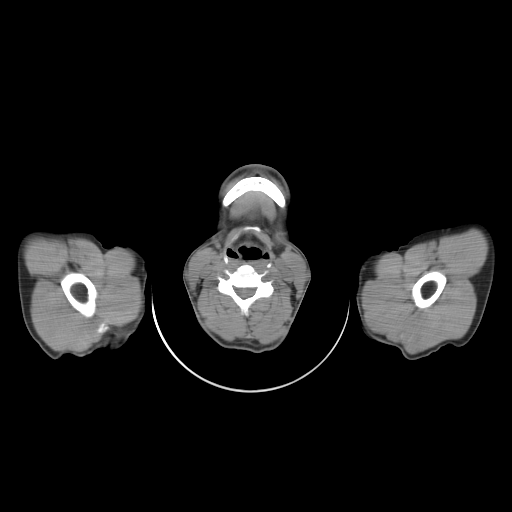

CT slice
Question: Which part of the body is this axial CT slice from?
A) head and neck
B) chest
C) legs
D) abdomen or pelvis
Answer: A) head and neck
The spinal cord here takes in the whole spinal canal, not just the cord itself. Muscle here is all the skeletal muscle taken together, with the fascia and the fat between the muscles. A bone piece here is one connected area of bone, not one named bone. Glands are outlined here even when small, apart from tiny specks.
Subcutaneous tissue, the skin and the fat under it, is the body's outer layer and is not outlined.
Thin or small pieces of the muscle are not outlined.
{"spinal_cord":[[[234,287],[235,287],[236,288],[255,288],[255,291],[254,292],[254,293],[251,296],[250,296],[249,297],[247,297],[246,298],[242,298],[241,297],[240,297],[236,293],[236,292],[235,291],[235,290],[234,289]]],"muscle":[{"outer":[[249,191],[262,192],[280,208],[286,207],[282,221],[284,236],[303,258],[307,270],[306,280],[283,335],[275,342],[265,346],[238,341],[226,341],[209,330],[200,315],[196,297],[187,278],[187,267],[193,254],[211,241],[220,230],[221,205],[227,207]],"holes":[[[268,263],[271,265],[268,268],[265,278],[273,280],[273,292],[269,297],[256,299],[248,308],[248,315],[243,315],[234,300],[229,295],[221,293],[217,289],[217,275],[222,274],[224,269],[233,272],[243,264],[251,265],[258,273],[261,273],[267,268]],[[245,226],[257,226],[260,229],[260,231],[257,232],[254,230],[243,230],[239,236],[232,242],[227,248],[228,250],[233,250],[237,254],[236,257],[230,257],[229,255],[228,256],[227,262],[225,262],[224,260],[224,252],[225,251],[226,245],[234,236]]]},{"outer":[[469,228],[477,228],[485,234],[488,241],[488,253],[475,284],[477,304],[474,317],[467,332],[461,338],[444,340],[425,350],[409,353],[401,344],[370,330],[364,320],[361,292],[369,276],[373,262],[384,253],[399,253],[414,244],[445,234],[461,232]],"hole":[[430,270],[438,270],[442,272],[445,275],[446,277],[446,283],[441,293],[439,295],[437,299],[431,305],[425,308],[418,308],[415,305],[411,297],[411,289],[412,288],[412,286],[413,284],[424,273]]},{"outer":[[33,235],[80,236],[91,240],[104,253],[115,248],[125,248],[132,251],[136,257],[135,269],[142,294],[142,305],[136,318],[120,327],[115,327],[102,339],[86,350],[56,351],[50,348],[36,332],[30,315],[32,280],[24,262],[23,246],[26,239]],"holes":[[[71,271],[79,272],[80,273],[84,274],[95,286],[95,288],[97,291],[97,297],[96,298],[96,307],[95,308],[95,312],[94,314],[90,317],[86,317],[84,316],[81,313],[76,310],[70,304],[61,287],[61,285],[60,284],[60,280],[65,274]],[[101,323],[104,323],[107,326],[108,326],[108,329],[105,332],[104,332],[103,333],[99,333],[98,332],[97,332],[97,328],[99,326],[99,325]]]},[[252,170],[261,170],[267,172],[269,174],[275,177],[280,182],[286,191],[287,194],[287,202],[287,200],[280,188],[269,178],[261,175],[248,175],[242,177],[239,179],[222,197],[222,191],[225,185],[229,181],[236,176],[244,172],[248,172]]],"head_and_neck":[{"outer":[[250,163],[261,163],[275,168],[288,183],[292,195],[289,230],[293,241],[305,254],[311,270],[309,285],[286,339],[277,348],[261,353],[224,348],[208,337],[196,320],[182,279],[182,270],[188,255],[213,232],[216,208],[215,200],[220,183],[234,169]],"holes":[[[242,246],[245,246],[246,247],[255,247],[256,248],[259,248],[259,249],[261,250],[261,251],[264,254],[265,253],[267,254],[267,257],[258,257],[255,259],[251,259],[250,258],[245,257],[241,253],[240,253],[239,251],[240,248]],[[228,250],[233,250],[237,254],[237,255],[236,256],[236,257],[230,257],[230,256],[229,255],[228,256]]]}],"right_arm":[[[33,227],[86,231],[93,234],[107,248],[114,245],[128,245],[143,255],[149,268],[145,285],[146,310],[139,327],[121,347],[112,351],[98,349],[89,355],[81,357],[65,354],[62,358],[53,359],[31,337],[21,313],[17,283],[16,249],[20,236]]],"bones":[{"outer":[[268,263],[271,265],[268,268],[265,278],[273,280],[273,292],[269,297],[256,299],[248,308],[248,315],[243,315],[234,300],[229,295],[221,293],[217,289],[217,275],[222,274],[224,269],[233,272],[243,264],[251,265],[258,273],[261,273],[267,268]],"hole":[[234,287],[235,287],[236,288],[255,288],[255,291],[254,292],[254,293],[251,296],[250,296],[249,297],[247,297],[246,298],[242,298],[241,297],[240,297],[236,293],[236,292],[235,291],[235,290],[234,289]]},[[71,271],[79,272],[80,273],[84,274],[95,286],[95,288],[97,291],[97,297],[96,298],[96,307],[95,308],[95,312],[94,314],[90,317],[86,317],[84,316],[81,313],[76,310],[70,304],[61,287],[61,285],[60,284],[60,280],[65,274]],[[248,176],[261,176],[262,177],[265,177],[273,182],[279,188],[283,194],[286,200],[286,206],[283,208],[280,207],[273,199],[264,192],[262,191],[257,191],[256,190],[246,191],[233,200],[227,206],[223,206],[221,204],[221,201],[225,194],[239,180]],[[430,270],[438,270],[442,272],[445,275],[446,277],[446,283],[441,293],[439,295],[437,299],[431,305],[425,308],[418,308],[415,305],[411,297],[411,289],[412,288],[412,286],[413,284],[424,273]],[[245,226],[257,226],[260,229],[260,231],[259,232],[257,232],[254,230],[243,230],[239,236],[228,246],[226,250],[226,254],[228,257],[228,260],[227,262],[225,262],[224,260],[224,252],[225,251],[226,245],[234,237],[234,236]],[[101,323],[104,323],[107,326],[108,326],[108,329],[105,332],[104,332],[103,333],[99,333],[98,332],[97,332],[97,328],[99,326],[99,325]]],"submandibular_glands":[[[277,233],[278,234],[281,234],[281,235],[282,236],[283,236],[283,241],[281,243],[277,243],[277,242],[276,241],[275,241],[275,240],[274,239],[274,235],[275,234],[276,234]]],"left_arm":[[[468,221],[476,221],[486,226],[495,243],[493,281],[481,322],[472,338],[463,346],[446,345],[427,356],[410,360],[404,357],[394,346],[380,343],[366,336],[359,323],[355,300],[358,270],[362,262],[370,254],[383,249],[396,249],[415,235],[426,230]]]}